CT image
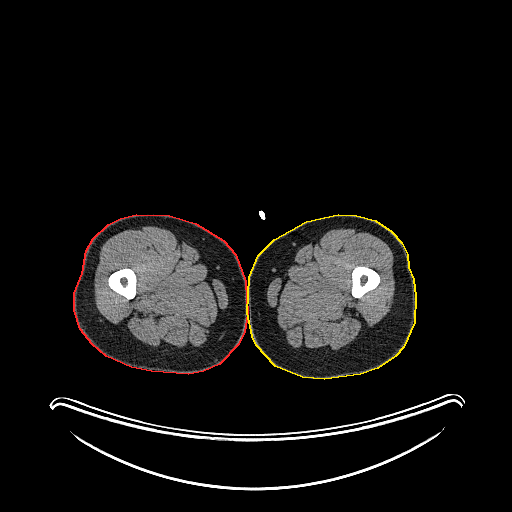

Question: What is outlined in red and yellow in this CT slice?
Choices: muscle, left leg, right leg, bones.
Answer: red: right leg; yellow: left leg.
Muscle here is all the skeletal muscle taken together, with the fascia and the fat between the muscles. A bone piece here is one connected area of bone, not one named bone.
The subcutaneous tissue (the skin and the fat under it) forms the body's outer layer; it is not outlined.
{"right_leg":[[[136,214],[169,215],[195,223],[223,240],[235,254],[245,281],[247,314],[244,331],[238,344],[219,364],[203,371],[188,374],[151,371],[131,367],[106,356],[92,344],[80,329],[74,310],[74,293],[82,273],[86,250],[93,238],[108,224],[120,218]]],"left_leg":[[[338,214],[356,215],[375,220],[391,231],[401,242],[407,254],[408,267],[413,279],[415,296],[414,322],[403,347],[395,356],[377,368],[360,374],[324,379],[302,377],[275,366],[256,345],[252,336],[247,312],[249,277],[258,255],[274,239],[306,221]]],"muscle":[{"outer":[[142,226],[157,226],[174,231],[197,249],[217,272],[226,286],[229,297],[227,307],[220,322],[201,347],[194,349],[191,353],[163,354],[150,351],[145,345],[127,332],[101,316],[96,308],[93,285],[96,258],[101,246],[108,238],[118,232]],"hole":[[122,268],[130,268],[132,269],[136,276],[136,293],[135,294],[135,296],[132,299],[127,299],[122,295],[120,295],[118,293],[112,290],[108,285],[108,278],[110,274]]},{"outer":[[340,225],[359,227],[374,232],[387,242],[395,254],[396,256],[395,309],[387,320],[369,329],[366,333],[363,333],[349,345],[335,353],[321,356],[302,355],[285,341],[276,325],[265,299],[266,285],[275,275],[285,269],[299,248],[324,230]],"hole":[[356,267],[367,267],[368,268],[370,268],[371,269],[372,269],[378,275],[378,276],[379,277],[379,282],[378,283],[378,284],[374,288],[373,288],[372,289],[369,289],[368,290],[367,290],[361,296],[360,296],[359,297],[354,297],[352,295],[352,271]]}],"bones":[[[122,268],[130,268],[132,269],[136,276],[136,293],[135,294],[135,296],[132,299],[127,299],[122,295],[120,295],[118,293],[112,290],[108,285],[108,278],[110,274]],[[356,267],[367,267],[368,268],[370,268],[371,269],[372,269],[378,275],[378,276],[379,277],[379,282],[378,283],[378,284],[374,288],[373,288],[372,289],[369,289],[368,290],[367,290],[361,296],[360,296],[359,297],[354,297],[352,295],[352,271]]]}